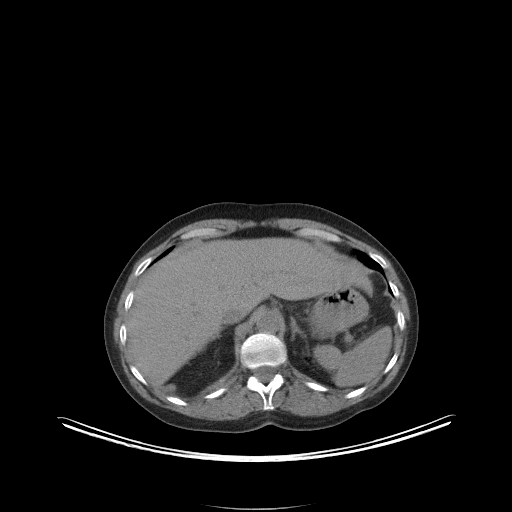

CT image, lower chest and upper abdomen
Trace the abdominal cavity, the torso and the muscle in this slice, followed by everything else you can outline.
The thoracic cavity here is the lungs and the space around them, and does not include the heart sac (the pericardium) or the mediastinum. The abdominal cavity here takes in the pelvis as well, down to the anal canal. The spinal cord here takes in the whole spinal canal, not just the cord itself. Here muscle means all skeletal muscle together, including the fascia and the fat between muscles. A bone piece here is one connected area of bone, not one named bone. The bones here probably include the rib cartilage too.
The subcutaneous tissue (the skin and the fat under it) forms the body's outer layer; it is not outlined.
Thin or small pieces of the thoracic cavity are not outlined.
abdominal cavity: 256,226 347,245 362,263 383,274 398,327 393,352 373,379 349,391 310,380 287,359 280,338 282,323 271,311 244,329 239,364 204,395 182,399 167,394 148,383 133,364 126,347 126,324 139,276 180,240
torso: 219,201 292,201 317,205 360,225 395,256 416,294 419,331 409,368 389,397 331,427 288,430 266,425 247,432 224,433 189,430 167,424 126,392 110,365 104,345 103,317 111,289 129,258 155,230 179,214
muscle: 214,218 257,222 271,218 310,219 328,224 380,251 391,262 404,288 410,313 404,359 392,381 372,396 326,415 300,416 273,410 273,395 285,382 278,369 286,360 309,380 303,382 308,388 319,392 330,388 345,391 346,399 361,395 366,384 382,371 386,374 398,359 394,351 398,328 402,331 406,324 404,313 396,310 394,303 400,291 387,279 385,270 389,265 380,254 366,253 342,243 339,235 328,230 308,226 295,232 256,225 218,234 215,227 200,226 182,233 179,240 154,258 148,256 137,265 133,272 138,277 135,289 126,294 123,302 127,320 119,326 119,342 125,345 131,360 131,373 142,384 163,392 169,402 179,406 188,405 185,399 198,396 213,399 222,395 227,388 220,386 241,363 249,371 245,387 260,395 263,411 232,420 208,420 159,406 142,397 129,382 114,342 113,326 120,295 134,264 144,254 181,227
mediastinum: 266,312 271,312 272,313 274,313 277,316 278,319 280,321 281,324 279,329 279,337 278,337 275,334 273,334 269,332 263,332 262,331 259,331 249,335 241,344 240,342 241,341 241,339 245,329 258,316
bones 1: 259,332 275,335 283,342 286,350 286,359 277,369 284,378 284,382 274,391 272,395 271,401 274,407 272,410 264,410 261,395 257,391 250,390 246,387 246,382 250,371 242,364 240,357 241,345 249,336; inner edge: 262,366 268,366 269,367 271,367 272,368 275,369 275,372 274,373 272,378 269,381 268,381 266,383 264,383 263,382 260,381 254,374 254,372 255,371 255,370 256,369 257,369 259,367 261,367
bones 2: 308,227 310,228 321,229 322,230 328,231 331,233 333,233 339,236 342,239 342,241 341,242 335,242 334,241 329,241 328,240 323,239 315,235 301,235 300,234 298,234 297,232 300,229 302,228 307,228
bones 3: 200,227 211,227 212,228 215,228 217,231 217,234 215,234 214,235 208,235 207,236 196,236 195,237 191,237 187,239 181,239 180,238 180,236 182,234 187,232 189,230 191,230 195,228 199,228
bones 4: 148,257 152,257 153,258 152,261 149,264 149,265 148,265 147,266 147,267 138,276 135,276 134,275 134,272 135,271 136,268 138,266 138,265 143,260 144,260 146,258 147,258
bones 5: 305,381 311,381 312,382 316,382 317,383 319,383 320,384 321,384 324,386 326,386 327,387 328,387 329,388 329,389 326,391 319,391 318,390 315,390 314,389 312,389 311,388 308,387 304,383 304,382
bones 6: 369,252 372,252 373,253 376,253 377,254 378,254 379,255 380,255 385,260 385,261 387,263 387,264 388,265 388,266 385,269 384,269 375,260 374,260 368,254 368,253
bones 7: 365,385 366,385 366,388 365,389 365,390 361,394 360,394 359,395 357,395 354,397 351,397 350,398 346,398 344,396 344,395 348,392 349,392 354,389 356,389 357,388 359,388 362,386 364,386
bones 8: 397,310 400,310 403,313 403,315 404,316 404,319 405,320 405,324 404,325 404,328 402,330 400,330 400,329 399,328 399,327 398,326 398,324 397,323 397,318 396,317 396,311
bones 9: 220,387 225,387 226,388 226,390 222,394 221,394 219,396 217,396 216,397 214,397 213,398 205,398 204,397 204,396 206,394 208,394 209,393 210,393 211,392 212,392 213,391 216,390 218,388 219,388
bones 10: 132,364 134,366 135,366 135,367 138,370 138,371 141,374 141,375 144,378 144,379 147,382 147,384 146,385 145,385 143,383 142,383 132,373 132,372 130,370 130,365 131,365
bones 11: 122,324 124,324 125,325 125,326 126,327 126,339 125,340 125,344 124,345 123,345 122,344 121,344 121,343 120,342 120,338 119,337 119,329 120,328 120,326
bones 12: 131,290 132,290 134,292 134,293 133,294 133,299 131,302 131,305 129,307 129,308 128,309 128,310 127,311 126,311 124,308 124,302 125,301 125,299 126,298 126,296 127,295 127,294
bones 13: 394,352 396,352 397,353 397,359 396,360 395,363 391,367 391,368 386,373 383,373 383,371 384,370 384,369 386,367 386,366 387,365 387,364 388,363 388,362 389,361 390,358 392,356 392,355
bones 14: 168,395 169,395 170,396 175,396 176,397 178,397 179,398 180,398 182,400 185,401 187,403 187,405 179,405 178,404 175,404 174,403 173,403 172,402 169,401 166,398 166,397
bones 15: 389,280 392,281 392,282 393,283 394,283 395,284 395,285 397,287 397,288 399,291 399,296 398,297 395,297 394,296 394,295 392,293 392,291 391,290 391,289 389,286 389,284 388,283 388,281
spinal cord: 262,366 268,366 269,367 271,367 272,368 275,369 275,372 274,373 272,378 269,381 268,381 266,383 264,383 263,382 260,381 254,374 254,372 255,371 255,370 256,369 257,369 259,367 261,367
thoracic cavity 1: 354,249 357,249 358,250 359,250 360,251 361,251 362,252 367,254 384,270 384,273 385,274 385,276 383,273 381,273 376,269 374,269 371,267 369,267 363,262 362,262 359,259 358,256 354,252
thoracic cavity 2: 173,244 173,246 172,247 172,248 171,249 170,249 169,250 169,251 168,251 167,252 167,253 166,253 161,257 156,259 150,265 150,264 153,261 153,260 158,255 159,255 167,248 168,248 171,245 172,245